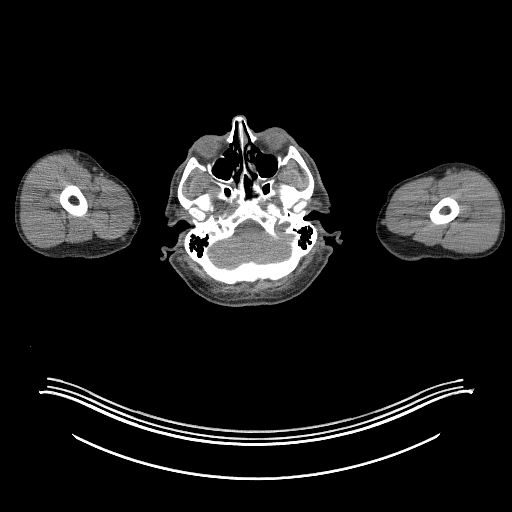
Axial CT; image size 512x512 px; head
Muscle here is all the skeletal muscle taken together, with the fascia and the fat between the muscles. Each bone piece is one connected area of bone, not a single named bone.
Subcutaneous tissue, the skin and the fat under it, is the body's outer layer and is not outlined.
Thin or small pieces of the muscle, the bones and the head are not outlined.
The muscle appears in 7 outlined pieces: piece 1: 64,152 67,152 78,159 90,171 120,185 130,197 134,210 133,222 128,231 118,239 111,241 95,237 79,243 63,242 50,248 40,248 32,244 25,236 20,223 20,196 24,181 28,173 38,162 48,156 with a hole at 70,184 73,184 74,185 76,185 80,189 80,190 82,192 83,195 86,199 88,208 87,209 87,211 86,213 83,216 74,216 70,214 61,205 59,201 59,194 60,192 65,187 65,186 67,185 69,185; piece 2: 461,168 474,170 483,175 493,186 497,194 501,208 501,219 497,239 490,248 477,253 460,253 445,248 428,246 387,230 385,211 392,195 399,187 410,181 422,177 427,176 435,177 440,175 447,175; inner edge: 447,196 450,196 455,200 456,200 456,201 458,203 460,207 459,209 459,213 452,220 451,220 447,223 445,223 444,224 434,224 430,220 428,214 433,207 433,206 435,204 436,204 442,198 444,197 446,197; piece 3: 318,236 322,248 320,258 312,261 307,272 294,284 294,287 273,297 230,299 225,297 227,295 215,295 178,260 183,246 187,255 215,281 227,285 254,283 258,280 276,281 290,274 298,266 301,259 315,245; piece 4: 196,168 206,172 211,181 217,186 218,189 214,195 217,200 223,201 230,205 236,205 231,212 225,209 220,213 215,214 215,205 212,200 213,196 208,191 202,192 191,199 184,194 183,188 185,182 190,173; piece 5: 291,159 294,160 303,170 307,178 307,184 306,186 303,189 298,189 292,184 280,181 277,183 276,185 276,188 275,188 274,187 274,185 276,183 276,177 279,171 281,168 284,166 289,161 289,160; piece 6: 299,150 307,158 313,171 315,177 315,180 317,183 317,186 318,187 317,193 318,194 320,204 319,205 318,204 315,205 308,211 307,207 309,201 314,193 314,190 315,189 315,180 313,174 308,167 303,156; piece 7: 185,164 183,168 180,179 176,187 176,198 177,199 178,203 186,211 187,211 188,214 191,217 191,219 184,217 182,215 178,215 176,214 175,210 174,209 174,205 176,202 176,186 177,185 177,177. The right arm is outlined by 66,147 76,148 91,155 106,170 123,181 133,193 139,206 141,221 131,243 126,247 111,254 96,258 79,257 51,258 46,257 30,249 18,235 14,222 14,201 16,190 22,175 27,168 40,156 52,150. The left arm is outlined by 451,161 466,162 481,168 496,184 502,196 505,208 505,231 499,247 493,253 477,259 457,260 451,258 424,258 416,261 406,261 396,257 380,243 375,232 376,217 386,199 388,191 395,184 410,176 439,164. The brain is outlined by 247,220 251,220 258,224 267,234 274,239 277,239 279,234 291,236 289,241 289,255 278,261 264,263 258,263 253,260 243,261 232,268 222,267 214,263 209,255 210,248 216,242 231,237 234,234 236,228. The head is outlined by 241,114 253,132 280,127 308,152 331,205 305,219 341,232 340,244 324,238 333,251 311,284 276,304 211,302 167,258 160,260 161,247 172,247 190,226 183,220 167,225 174,171 198,137 229,132, around holes outlined by 236,129 236,139 239,148 238,149 233,146 232,149 235,154 239,153 242,156 242,158 240,163 235,164 231,171 230,176 227,179 225,179 214,174 212,169 214,164 218,159 222,159 225,157 224,152 233,142 and by 253,146 255,146 263,154 266,154 267,155 272,155 274,156 276,160 276,169 273,173 273,174 269,177 267,177 266,176 262,176 259,173 256,167 256,165 251,161 250,159 252,156 250,154 250,151 252,150 and by 245,176 246,176 246,177 249,180 249,189 250,190 250,196 249,197 247,197 247,193 246,192 246,190 245,189 245,187 244,186 244,178 245,177 and by 241,166 241,167 242,168 242,169 241,170 241,172 240,173 240,175 239,176 239,180 237,182 236,182 235,181 235,179 234,178 234,176 236,174 236,173 240,169 240,168 241,167. The bones appear in 3 outlined pieces: piece 1: 236,116 245,118 258,138 257,146 264,153 253,145 249,159 262,177 274,174 277,169 275,156 283,155 291,144 302,156 314,180 305,219 315,226 317,238 297,266 276,280 233,284 215,280 188,255 183,245 193,225 192,217 177,198 184,168 192,156 203,164 215,161 211,169 213,174 227,180 243,158 233,149 240,148 237,129 228,147 225,140, around holes outlined by 247,220 251,220 258,224 267,234 274,239 277,239 279,234 291,236 289,241 289,255 278,261 264,263 258,263 253,260 243,261 232,268 222,267 214,263 209,255 210,248 216,242 231,237 234,234 236,228 and by 196,168 206,172 211,181 217,186 218,189 214,195 217,200 223,201 230,205 236,205 231,212 225,209 220,213 215,214 215,205 212,200 213,196 208,191 202,192 191,199 184,194 183,188 185,182 190,173 and by 291,159 294,160 303,170 307,178 307,184 306,186 303,189 298,189 292,184 280,181 277,183 276,185 276,188 275,188 274,187 274,185 276,183 276,177 279,171 281,168 284,166 289,161 289,160 and by 245,176 246,176 246,177 249,180 249,189 250,190 250,196 249,197 247,197 247,193 246,192 246,190 245,189 245,187 244,186 244,178 245,177 and by 241,166 241,167 242,168 242,169 241,170 241,172 240,173 240,175 239,176 239,180 237,182 236,182 235,181 235,179 234,178 234,176 236,174 236,173 240,169 240,168 241,167; piece 2: 70,184 73,184 74,185 76,185 80,189 80,190 82,192 83,195 86,199 88,208 87,209 87,211 86,213 83,216 74,216 70,214 61,205 59,201 59,194 60,192 65,187 65,186 67,185 69,185; piece 3: 447,196 450,196 455,200 456,200 456,201 458,203 460,207 459,209 459,213 452,220 451,220 447,223 445,223 444,224 434,224 430,220 428,214 433,207 433,206 435,204 436,204 442,198 444,197 446,197.